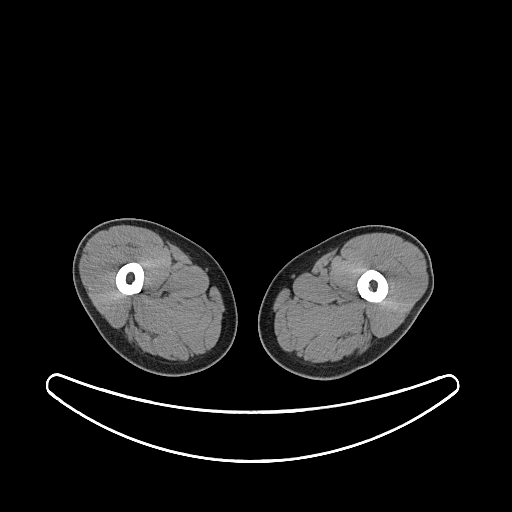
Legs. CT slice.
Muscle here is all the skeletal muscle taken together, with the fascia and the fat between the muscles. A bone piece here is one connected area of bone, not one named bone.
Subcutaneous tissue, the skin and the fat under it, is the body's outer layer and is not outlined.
{"right_leg":[[[116,218],[140,218],[166,226],[203,247],[215,258],[225,272],[236,302],[238,326],[232,346],[227,353],[212,366],[199,372],[183,376],[156,375],[144,371],[122,358],[106,343],[96,329],[76,293],[72,278],[72,262],[76,248],[82,237],[94,226]]],"muscle":[{"outer":[[372,232],[393,233],[411,242],[418,247],[424,256],[428,275],[428,284],[423,295],[414,304],[403,322],[379,345],[358,360],[334,366],[314,366],[303,364],[287,356],[271,335],[269,328],[272,305],[282,287],[294,274],[328,248],[354,236]],"hole":[[367,269],[375,269],[379,271],[385,277],[387,281],[387,283],[388,284],[388,291],[387,292],[386,296],[380,302],[370,302],[361,297],[361,296],[358,292],[358,290],[356,286],[356,284],[357,283],[357,280],[360,276],[360,275],[365,270]]},{"outer":[[121,224],[148,228],[203,261],[209,268],[225,306],[226,329],[217,344],[205,354],[189,362],[169,363],[164,363],[141,354],[136,351],[121,335],[116,333],[116,331],[109,325],[93,305],[81,281],[79,273],[78,266],[83,248],[87,241],[98,231]],"hole":[[128,262],[137,262],[139,263],[142,266],[143,268],[143,270],[144,271],[144,279],[143,280],[143,285],[142,286],[142,288],[141,290],[138,293],[135,293],[131,295],[127,295],[119,291],[115,283],[115,276],[116,275],[116,273],[117,271],[122,265]]}],"left_leg":[[[370,224],[393,226],[405,230],[415,236],[425,246],[431,259],[434,276],[431,296],[407,332],[391,349],[373,363],[345,377],[332,380],[316,380],[296,375],[284,369],[266,353],[260,342],[257,330],[258,311],[271,280],[288,261],[304,250],[344,230]]],"bones":[[[367,269],[375,269],[379,271],[385,277],[387,281],[387,283],[388,284],[388,291],[387,292],[386,296],[380,302],[370,302],[361,297],[361,296],[358,292],[358,290],[356,286],[356,284],[357,283],[357,280],[360,276],[360,275],[365,270]],[[128,262],[137,262],[139,263],[142,266],[143,268],[143,270],[144,271],[144,279],[143,280],[143,285],[142,286],[142,288],[141,290],[138,293],[135,293],[131,295],[127,295],[119,291],[115,283],[115,276],[116,275],[116,273],[117,271],[122,265]]]}